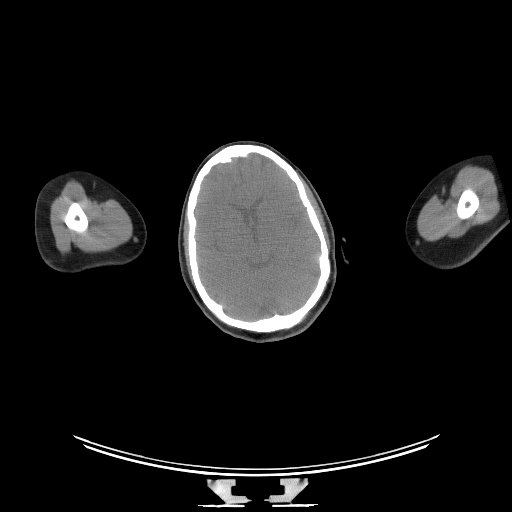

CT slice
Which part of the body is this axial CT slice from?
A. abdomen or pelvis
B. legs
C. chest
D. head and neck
D. head and neck
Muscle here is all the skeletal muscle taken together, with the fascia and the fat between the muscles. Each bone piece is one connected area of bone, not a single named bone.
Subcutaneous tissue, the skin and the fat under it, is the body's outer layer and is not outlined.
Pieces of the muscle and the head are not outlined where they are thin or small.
The brain is outlined by (250, 154) (257, 154) (272, 161) (293, 182) (319, 242) (317, 257) (319, 273) (305, 301) (288, 313) (274, 313) (254, 320) (226, 313) (224, 306) (210, 295) (204, 285) (197, 257) (198, 222) (195, 215) (202, 182) (212, 168) (218, 164) (230, 163) (236, 158) (247, 158). The head is outlined by (237, 140) (255, 140) (269, 144) (297, 165) (307, 176) (318, 193) (333, 227) (337, 275) (331, 297) (309, 328) (300, 334) (282, 340) (258, 343) (237, 338) (222, 332) (202, 313) (181, 275) (177, 245) (178, 229) (182, 204) (191, 178) (196, 168) (207, 154) (222, 144). The left arm is outlined by (483, 153) (487, 153) (491, 156) (496, 168) (505, 198) (505, 203) (507, 208) (509, 223) (472, 260) (464, 265) (448, 270) (442, 270) (433, 268) (420, 261) (412, 253) (408, 247) (405, 239) (404, 227) (409, 209) (421, 190) (437, 173) (459, 160) (473, 155) (482, 154). The right arm is outlined by (74, 169) (86, 170) (102, 177) (121, 191) (138, 209) (142, 215) (146, 225) (147, 240) (142, 253) (136, 259) (124, 265) (97, 267) (71, 274) (62, 273) (56, 271) (46, 265) (41, 259) (37, 250) (34, 236) (34, 210) (37, 196) (42, 186) (48, 180) (56, 175). The muscle appears in 4 outlined pieces: piece 1: (70, 178) (75, 178) (78, 180) (86, 188) (92, 198) (100, 200) (114, 198) (121, 204) (129, 214) (134, 227) (133, 235) (130, 241) (109, 251) (97, 253) (81, 253) (77, 257) (64, 258) (58, 253) (55, 248) (54, 240) (50, 230) (48, 217) (49, 203) (66, 181); inner edge: (70, 202) (81, 202) (82, 204) (82, 208) (84, 212) (86, 214) (87, 216) (87, 218) (88, 219) (88, 227) (87, 228) (87, 230) (83, 233) (78, 233) (73, 230) (71, 230) (66, 225) (66, 224) (62, 219) (62, 216) (67, 211) (67, 209) (70, 204); piece 2: (466, 164) (483, 166) (492, 172) (498, 191) (498, 199) (500, 203) (499, 213) (492, 220) (484, 224) (472, 226) (465, 234) (458, 238) (445, 238) (433, 243) (429, 243) (423, 240) (416, 231) (416, 218) (420, 209) (432, 194) (439, 191) (443, 185) (448, 186) (458, 170), around a hole outlined by (468, 187) (471, 188) (476, 193) (476, 194) (478, 196) (479, 198) (479, 207) (476, 210) (476, 211) (469, 218) (467, 218) (466, 219) (460, 219) (457, 216) (457, 214) (456, 213) (456, 207) (457, 206) (457, 202) (458, 201) (458, 199) (460, 195) (462, 193) (464, 189); piece 3: (300, 175) (312, 192) (323, 216) (323, 219) (325, 222) (325, 226) (328, 233) (328, 237) (330, 243) (329, 250) (329, 247) (327, 244) (324, 235) (324, 232) (320, 223) (319, 218) (313, 205) (310, 201) (310, 199) (307, 194) (305, 188) (305, 183); piece 4: (312, 309) (312, 311) (311, 312) (311, 313) (310, 314) (310, 315) (303, 322) (302, 322) (301, 323) (300, 323) (299, 324) (298, 324) (299, 323) (300, 323) (302, 321) (302, 320) (305, 317) (305, 316) (309, 312) (309, 311) (310, 310) (311, 310). The bones appear in 3 outlined pieces: piece 1: (234, 144) (264, 146) (278, 154) (293, 167) (304, 183) (306, 194) (318, 218) (328, 247) (330, 274) (325, 288) (320, 298) (301, 321) (287, 329) (256, 332) (222, 322) (204, 304) (192, 280) (188, 253) (189, 226) (186, 218) (189, 192) (197, 173) (205, 162) (224, 147), around a hole outlined by (250, 154) (257, 154) (272, 161) (293, 182) (319, 242) (317, 257) (319, 273) (305, 301) (288, 313) (274, 313) (254, 320) (226, 313) (224, 306) (210, 295) (204, 285) (197, 257) (198, 222) (195, 215) (202, 182) (212, 168) (218, 164) (230, 163) (236, 158) (247, 158); piece 2: (70, 202) (81, 202) (82, 204) (82, 208) (84, 212) (86, 214) (87, 216) (87, 218) (88, 219) (88, 227) (87, 228) (87, 230) (83, 233) (78, 233) (73, 230) (71, 230) (66, 225) (66, 224) (62, 219) (62, 216) (67, 211) (67, 209) (70, 204); piece 3: (468, 187) (471, 188) (476, 193) (476, 194) (478, 196) (479, 198) (479, 207) (476, 210) (476, 211) (469, 218) (467, 218) (466, 219) (460, 219) (457, 216) (457, 214) (456, 213) (456, 207) (457, 206) (457, 202) (458, 201) (458, 199) (460, 195) (462, 193) (464, 189).